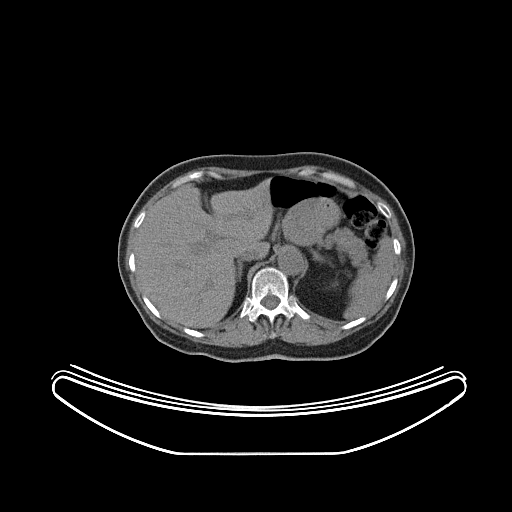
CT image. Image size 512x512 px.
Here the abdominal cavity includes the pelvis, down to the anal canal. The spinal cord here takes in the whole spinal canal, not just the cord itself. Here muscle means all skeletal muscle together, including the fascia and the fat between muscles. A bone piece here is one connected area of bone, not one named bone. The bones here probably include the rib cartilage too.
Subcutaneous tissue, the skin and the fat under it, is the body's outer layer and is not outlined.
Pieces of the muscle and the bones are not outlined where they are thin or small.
Outlined structures:
mediastinum: [[282,250],[295,250],[297,252],[299,252],[305,258],[305,271],[303,272],[303,274],[301,276],[299,281],[295,284],[292,293],[290,293],[290,284],[288,280],[288,277],[283,271],[277,267],[271,265],[266,265],[262,267],[265,264],[271,261]]
torso: [[297,151],[323,152],[360,165],[379,178],[400,203],[412,230],[415,259],[409,287],[393,323],[364,351],[330,360],[273,358],[230,362],[182,353],[160,342],[144,324],[130,301],[117,263],[120,231],[140,193],[162,171],[190,158],[212,154],[276,154]]
abdominal cavity: [[264,173],[319,177],[375,203],[387,219],[394,254],[383,297],[365,315],[347,322],[322,316],[293,293],[306,271],[306,258],[295,249],[282,249],[253,274],[249,295],[234,317],[201,331],[170,321],[144,293],[136,274],[136,236],[146,213],[186,182]]
bones 1: [[266,266],[277,268],[285,274],[289,293],[296,297],[299,306],[310,315],[309,319],[303,319],[296,313],[290,319],[279,314],[274,318],[272,329],[268,318],[263,314],[259,315],[254,322],[250,321],[247,315],[239,317],[243,301],[250,295],[254,274]], around a hole outlined by [[268,295],[272,295],[273,296],[275,296],[276,297],[277,297],[279,299],[279,302],[277,304],[277,305],[274,308],[273,308],[272,309],[269,309],[268,308],[267,308],[265,306],[264,306],[261,303],[261,301],[262,300],[262,299]]
bones 2: [[307,168],[311,168],[315,171],[318,171],[319,172],[329,172],[347,178],[354,183],[355,187],[354,188],[350,188],[345,185],[343,185],[334,181],[328,181],[327,180],[321,179],[319,176],[319,174],[316,172],[308,176],[300,176],[298,175],[298,172]]
bones 3: [[195,171],[205,171],[206,172],[208,171],[213,171],[218,173],[221,176],[220,178],[215,178],[205,173],[201,178],[199,178],[198,179],[194,179],[189,181],[186,181],[175,187],[172,187],[173,183],[176,180],[179,179],[181,177],[183,177]]
bones 4: [[361,316],[365,316],[366,317],[366,319],[361,323],[360,323],[357,325],[355,325],[354,326],[353,326],[348,329],[342,329],[340,327],[342,325],[343,325],[344,324],[345,324],[346,323],[347,323],[352,320],[354,320],[357,318],[359,318]]
bones 5: [[378,201],[381,201],[382,202],[383,202],[385,204],[386,204],[387,205],[387,206],[389,208],[389,209],[390,210],[390,211],[391,212],[391,217],[390,218],[387,218],[378,209],[378,208],[377,207],[377,206],[376,205],[376,203]]
bones 6: [[144,294],[148,298],[148,299],[153,304],[153,305],[158,310],[158,311],[160,313],[160,314],[161,315],[161,317],[160,318],[157,317],[149,309],[149,308],[146,305],[146,304],[144,302],[144,301],[143,300],[143,298],[142,297],[142,296]]
bones 7: [[395,277],[396,277],[397,278],[397,284],[395,287],[395,289],[393,291],[392,294],[388,298],[388,299],[385,300],[384,299],[384,296],[385,295],[385,294],[386,293],[386,292],[387,291],[387,290],[390,285],[390,283],[392,281],[393,278],[394,278]]
bones 8: [[183,327],[186,327],[187,328],[190,328],[191,329],[193,329],[194,330],[198,330],[199,331],[202,332],[204,334],[204,335],[201,337],[197,337],[196,336],[193,336],[192,335],[190,335],[189,334],[186,333],[183,330]]
bones 9: [[141,211],[145,211],[145,216],[144,217],[144,218],[143,219],[143,220],[142,221],[141,224],[139,226],[139,227],[136,228],[135,227],[134,227],[134,222],[135,221],[135,219],[136,218],[136,217],[138,215],[138,214]]
bones 10: [[132,252],[134,254],[134,258],[135,259],[135,271],[134,272],[132,272],[130,270],[130,267],[129,266],[129,256],[130,255],[130,254]]
spinal cord: [[268,295],[272,295],[273,296],[275,296],[276,297],[277,297],[279,299],[279,302],[277,304],[277,305],[274,308],[273,308],[272,309],[269,309],[268,308],[267,308],[265,306],[264,306],[261,303],[261,301],[262,300],[262,299]]
muscle: [[302,165],[317,165],[318,166],[321,166],[333,170],[338,173],[347,176],[363,185],[374,193],[379,195],[384,199],[392,208],[397,218],[398,224],[400,227],[402,235],[405,241],[405,249],[404,250],[405,269],[404,270],[404,274],[401,282],[401,285],[398,290],[398,292],[392,304],[388,308],[386,312],[373,323],[363,327],[361,329],[352,333],[350,335],[348,335],[337,341],[328,343],[327,344],[321,344],[320,345],[302,345],[301,344],[296,344],[295,343],[286,342],[278,338],[275,338],[274,339],[268,339],[256,345],[244,346],[243,347],[225,347],[224,346],[218,346],[217,345],[194,342],[184,337],[176,335],[164,329],[155,323],[145,312],[141,304],[138,301],[135,295],[135,293],[131,286],[129,277],[128,276],[128,273],[125,268],[125,252],[127,246],[127,239],[128,238],[129,229],[133,219],[141,209],[143,205],[159,189],[168,182],[190,170],[196,169],[199,167],[216,166],[217,167],[223,167],[229,169],[245,169],[246,170],[253,170],[254,169],[283,169],[284,168],[297,167]] with a hole at [[307,168],[349,179],[355,185],[352,190],[383,202],[391,212],[387,219],[391,237],[400,245],[392,274],[397,284],[364,321],[342,329],[344,321],[322,316],[298,301],[310,315],[307,320],[296,313],[290,319],[279,314],[272,329],[263,314],[254,322],[238,314],[197,337],[149,309],[129,266],[138,233],[134,222],[141,211],[147,214],[176,180],[195,171],[213,171],[225,180],[264,173],[297,175]]